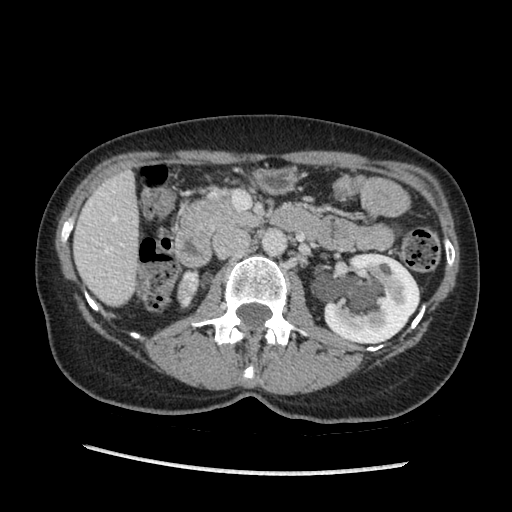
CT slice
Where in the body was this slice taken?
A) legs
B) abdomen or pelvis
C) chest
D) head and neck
Answer: B) abdomen or pelvis
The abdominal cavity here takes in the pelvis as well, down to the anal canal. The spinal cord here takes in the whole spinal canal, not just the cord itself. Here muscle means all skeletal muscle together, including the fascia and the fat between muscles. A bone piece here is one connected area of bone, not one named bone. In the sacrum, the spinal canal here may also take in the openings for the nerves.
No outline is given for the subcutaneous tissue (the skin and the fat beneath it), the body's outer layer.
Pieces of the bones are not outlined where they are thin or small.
Outlines:
bones 1: 252 255; 262 255; 273 260; 288 278; 286 309; 282 314; 286 320; 309 335; 293 330; 284 346; 268 344; 263 338; 252 343; 244 338; 233 344; 219 345; 214 340; 213 325; 194 327; 190 324; 224 313; 221 304; 224 302; 226 271, around a hole outlined by 250 303; 258 303; 259 304; 264 305; 268 307; 271 311; 271 316; 269 318; 265 320; 263 324; 261 326; 257 328; 256 331; 250 331; 250 330; 246 326; 246 325; 239 318; 239 317; 236 313; 237 309; 241 305; 243 304; 249 304
bones 2: 73 213; 75 213; 76 214; 75 215; 75 219; 74 220; 74 222; 73 223; 73 227; 69 234; 69 236; 68 237; 66 242; 64 244; 63 244; 60 240; 60 236; 61 235; 61 230; 62 229; 62 227; 63 226; 63 223
bones 3: 444 237; 447 237; 450 240; 450 241; 454 248; 454 251; 455 252; 455 258; 454 259; 454 262; 453 263; 453 264; 450 267; 447 264; 447 260; 446 259; 446 253; 445 252; 445 249; 444 248; 444 242; 443 241; 444 240
bones 4: 423 303; 425 303; 426 304; 426 307; 425 308; 425 311; 423 314; 423 316; 421 318; 421 319; 419 321; 419 322; 416 325; 416 326; 413 329; 411 329; 410 330; 409 330; 409 326; 410 325; 411 322; 418 313; 418 312
bones 5: 85 289; 87 290; 87 291; 89 293; 91 297; 93 298; 93 299; 98 304; 99 306; 99 310; 98 311; 95 311; 93 310; 88 304; 85 298; 85 296; 84 295; 84 290
abdominal cavity: 268 158; 391 176; 415 189; 433 207; 443 235; 443 275; 395 339; 365 347; 316 324; 300 277; 294 272; 287 276; 273 259; 262 254; 219 269; 193 312; 147 336; 121 325; 78 278; 68 239; 84 197; 107 177; 154 164; 231 164
torso: 254 113; 319 118; 391 136; 438 161; 459 185; 478 244; 477 312; 455 370; 413 410; 378 421; 318 423; 283 416; 247 396; 206 412; 163 415; 100 401; 76 387; 56 365; 35 285; 35 248; 42 214; 65 173; 92 148; 131 131
muscle: 182 149; 209 149; 258 153; 286 153; 300 150; 336 150; 357 153; 372 159; 397 160; 407 163; 413 163; 428 169; 435 174; 440 180; 445 194; 448 198; 455 222; 455 229; 460 249; 460 270; 457 275; 455 287; 435 310; 432 315; 433 319; 430 322; 427 330; 415 345; 384 361; 381 365; 366 370; 360 369; 332 386; 328 386; 313 392; 296 395; 279 395; 270 393; 261 388; 241 386; 235 386; 225 390; 200 389; 190 386; 154 370; 131 355; 113 341; 104 338; 85 321; 77 307; 73 297; 73 292; 60 271; 59 261; 54 249; 54 238; 60 214; 76 185; 96 164; 104 158; 131 150; 157 150; 161 152; 170 152, around holes outlined by 268 158; 391 176; 433 207; 455 258; 413 329; 365 350; 315 323; 291 272; 282 314; 309 335; 293 330; 284 346; 263 338; 219 345; 213 325; 190 323; 224 313; 224 267; 193 312; 141 340; 102 305; 90 307; 60 236; 107 177 and by 250 364; 252 364; 253 365; 253 367; 254 368; 254 376; 253 377; 253 378; 252 378; 251 379; 250 379; 249 378; 244 378; 244 377; 243 376; 243 372; 244 371; 244 370; 245 369; 245 368; 247 366; 248 366
spinal cord: 250 303; 258 303; 259 304; 264 305; 268 307; 271 311; 271 316; 269 318; 265 320; 263 324; 261 326; 257 328; 256 331; 250 331; 250 330; 246 326; 246 325; 239 318; 239 317; 236 313; 237 309; 241 305; 243 304; 249 304